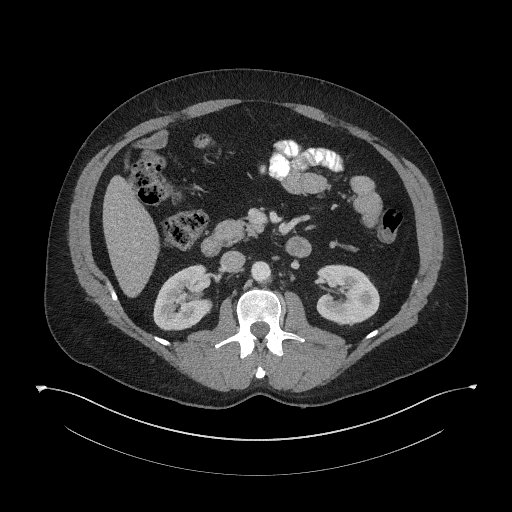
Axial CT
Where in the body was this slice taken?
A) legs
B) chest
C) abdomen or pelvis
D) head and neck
C) abdomen or pelvis
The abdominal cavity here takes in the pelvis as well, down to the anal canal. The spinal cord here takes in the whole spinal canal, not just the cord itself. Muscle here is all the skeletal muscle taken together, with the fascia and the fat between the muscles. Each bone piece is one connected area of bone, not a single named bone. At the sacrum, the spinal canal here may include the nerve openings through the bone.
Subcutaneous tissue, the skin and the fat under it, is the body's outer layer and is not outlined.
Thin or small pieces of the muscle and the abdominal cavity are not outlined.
{"bones":[{"outer":[[242,359],[254,349],[260,352],[266,348],[274,355],[281,356],[283,340],[304,341],[303,338],[280,328],[281,302],[277,295],[269,290],[252,289],[244,292],[238,298],[235,309],[239,325],[238,331],[215,345],[218,348],[229,342],[238,342]],"hole":[[257,337],[261,337],[262,336],[264,336],[264,335],[268,331],[268,327],[267,326],[267,325],[266,325],[264,323],[257,323],[256,324],[254,324],[251,327],[251,330],[252,331],[252,332]]},[[114,301],[116,301],[117,300],[118,297],[117,296],[117,295],[115,292],[115,290],[113,288],[110,281],[108,279],[108,278],[107,278],[106,279],[106,284],[108,287],[108,289],[109,290],[109,292],[110,293],[110,295],[111,296],[111,299]],[[165,346],[170,346],[171,345],[171,343],[169,341],[168,341],[167,340],[166,340],[159,336],[157,336],[156,335],[152,335],[151,334],[150,334],[150,335],[153,338],[153,339],[154,340],[155,340],[157,342],[160,343],[162,345],[164,345]],[[363,341],[366,341],[367,340],[368,340],[369,339],[370,339],[371,338],[376,336],[380,331],[380,330],[381,329],[381,327],[380,328],[378,328],[377,329],[375,329],[374,330],[373,330],[371,332],[370,332],[368,334],[367,334],[363,338]],[[259,379],[260,379],[261,378],[262,378],[265,375],[265,372],[264,371],[264,370],[260,366],[258,366],[257,367],[257,368],[256,369],[256,371],[255,372],[255,376],[257,378],[258,378]]],"torso":[[[212,410],[257,395],[301,409],[332,404],[441,362],[461,336],[468,310],[466,268],[455,214],[437,167],[403,121],[355,91],[310,76],[255,68],[179,76],[141,91],[110,112],[87,136],[69,166],[46,248],[44,312],[54,340],[75,362],[132,390]]],"muscle":[{"outer":[[221,392],[242,390],[248,387],[253,382],[265,383],[273,389],[293,392],[303,392],[315,387],[324,385],[336,378],[364,355],[383,342],[406,331],[416,324],[418,319],[417,314],[426,304],[427,299],[436,283],[437,276],[443,258],[443,233],[441,220],[435,201],[434,194],[422,171],[384,139],[360,126],[309,105],[291,102],[279,102],[266,99],[238,99],[237,98],[214,99],[198,102],[139,123],[114,139],[101,149],[87,163],[81,172],[74,189],[73,200],[70,206],[69,220],[68,221],[68,245],[69,246],[69,253],[75,274],[78,282],[83,289],[87,298],[107,322],[128,336],[138,341],[151,351],[153,351],[180,373],[184,374],[192,380],[200,383],[208,388]],"holes":[[[242,359],[304,341],[282,330],[286,291],[310,324],[348,343],[376,336],[418,268],[412,207],[390,164],[356,137],[263,102],[132,141],[102,174],[90,216],[111,299],[137,325],[170,346],[212,329],[232,296],[239,328],[215,347],[238,342]],[[259,379],[260,379],[261,378],[262,378],[265,375],[265,372],[264,371],[264,370],[260,366],[258,366],[257,367],[257,368],[256,369],[256,371],[255,372],[255,376],[257,378],[258,378]]]}],"abdominal_cavity":[[[348,343],[397,313],[418,268],[408,196],[367,143],[287,108],[253,102],[156,130],[107,166],[91,208],[93,254],[141,328],[183,340],[212,329],[226,298],[233,297],[234,311],[244,291],[261,288],[280,298],[282,329],[284,293],[292,291],[310,324]]],"spinal_cord":[[[257,337],[261,337],[262,336],[264,336],[264,335],[268,331],[268,327],[267,326],[267,325],[266,325],[264,323],[257,323],[256,324],[254,324],[251,327],[251,330],[252,331],[252,332]]]}